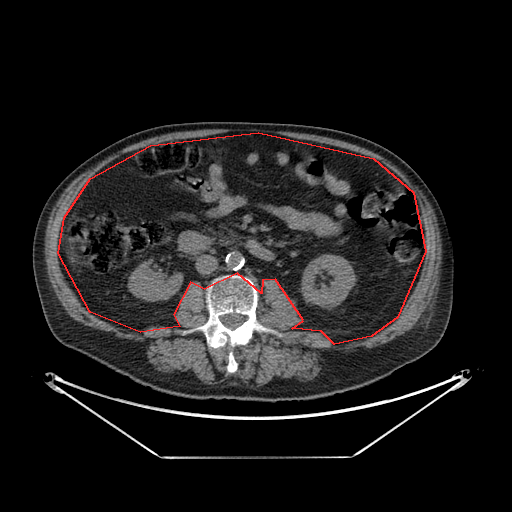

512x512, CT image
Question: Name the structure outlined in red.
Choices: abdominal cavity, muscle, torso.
Answer: red: abdominal cavity.
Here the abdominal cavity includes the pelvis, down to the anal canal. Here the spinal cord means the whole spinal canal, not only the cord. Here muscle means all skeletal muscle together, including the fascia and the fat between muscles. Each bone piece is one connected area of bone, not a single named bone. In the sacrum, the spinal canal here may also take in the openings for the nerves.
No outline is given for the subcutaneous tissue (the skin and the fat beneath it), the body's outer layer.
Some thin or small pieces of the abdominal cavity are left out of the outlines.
Outlined structures:
abdominal cavity: 258 132; 373 158; 413 192; 425 251; 397 317; 371 336; 334 344; 321 331; 292 328; 303 320; 275 279; 262 280; 261 293; 237 273; 204 289; 190 282; 173 314; 179 326; 140 332; 90 312; 58 253; 64 217; 90 178; 150 145
bones: 225 274; 243 275; 253 281; 259 296; 255 311; 257 320; 284 335; 280 338; 254 332; 247 344; 233 349; 237 369; 232 373; 227 371; 231 349; 228 343; 214 348; 207 345; 201 331; 182 334; 183 330; 207 321; 205 289; 212 279, around a hole outlined by 233 313; 235 313; 236 314; 239 314; 240 315; 243 315; 245 317; 245 320; 240 325; 239 325; 234 329; 231 329; 230 328; 227 327; 225 325; 224 325; 223 324; 223 323; 220 320; 220 317; 223 315; 226 315; 227 314; 232 314
muscle: 201 129; 237 129; 248 131; 252 129; 257 129; 258 130; 288 131; 289 132; 314 134; 355 144; 370 150; 390 161; 392 164; 395 165; 402 171; 414 185; 417 186; 423 192; 430 203; 436 217; 441 243; 441 262; 439 266; 438 284; 433 305; 428 307; 425 310; 423 313; 423 316; 418 320; 417 323; 411 329; 379 346; 372 348; 359 347; 356 351; 348 353; 343 353; 341 351; 334 350; 324 351; 323 352; 324 359; 321 363; 321 369; 319 373; 311 380; 300 381; 294 377; 290 378; 274 377; 269 382; 258 387; 248 385; 244 383; 240 378; 233 376; 231 376; 224 381; 216 384; 206 384; 203 383; 196 377; 191 371; 186 372; 176 371; 173 373; 166 373; 156 370; 148 361; 146 355; 146 343; 145 342; 134 341; 131 339; 116 337; 111 332; 93 328; 72 318; 66 312; 52 287; 47 272; 44 251; 45 233; 49 216; 53 207; 63 191; 80 174; 127 146; 134 143; 137 143; 142 140; 163 134; 181 131; 200 130; inner edge: 258 132; 373 158; 413 192; 425 251; 397 317; 334 344; 293 329; 296 300; 264 279; 256 318; 284 335; 254 332; 233 349; 231 373; 228 343; 182 334; 209 316; 197 280; 179 326; 140 332; 90 312; 58 253; 90 178; 150 145
torso: 196 121; 275 122; 327 127; 374 141; 406 161; 437 199; 452 241; 452 308; 446 330; 437 345; 421 358; 368 385; 314 399; 268 402; 196 399; 161 392; 59 342; 44 318; 32 268; 33 235; 45 201; 66 175; 111 143; 150 127
spinal cord: 233 313; 235 313; 236 314; 239 314; 240 315; 243 315; 245 317; 245 320; 240 325; 239 325; 234 329; 231 329; 230 328; 227 327; 225 325; 224 325; 223 324; 223 323; 220 320; 220 317; 223 315; 226 315; 227 314; 232 314